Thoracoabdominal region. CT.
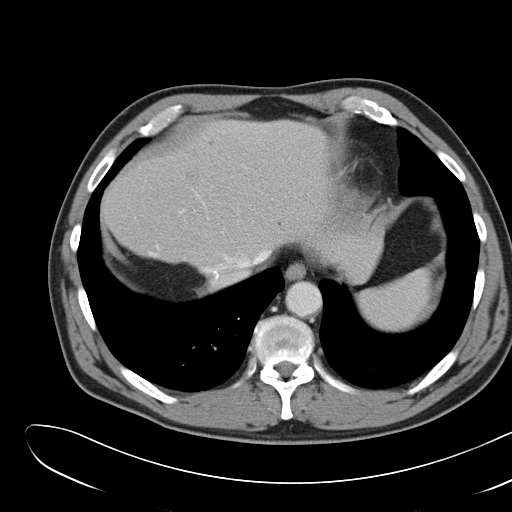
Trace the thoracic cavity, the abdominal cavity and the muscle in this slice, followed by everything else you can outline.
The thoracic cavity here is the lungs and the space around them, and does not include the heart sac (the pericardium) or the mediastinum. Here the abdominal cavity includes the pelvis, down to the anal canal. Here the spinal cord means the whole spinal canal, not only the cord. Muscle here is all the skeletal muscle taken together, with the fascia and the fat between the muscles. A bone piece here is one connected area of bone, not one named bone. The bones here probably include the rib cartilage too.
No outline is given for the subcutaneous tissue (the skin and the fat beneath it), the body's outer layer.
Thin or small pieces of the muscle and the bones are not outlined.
{"thoracic_cavity":[[[140,137],[149,140],[103,188],[98,206],[100,257],[120,284],[140,296],[179,306],[214,295],[276,266],[282,274],[282,289],[253,328],[245,366],[227,381],[208,389],[179,391],[161,387],[122,364],[98,329],[82,283],[77,252],[86,206],[116,158]],[[396,127],[415,135],[461,183],[479,240],[478,263],[471,305],[452,348],[421,377],[404,385],[368,388],[337,375],[315,350],[323,314],[319,282],[328,279],[343,288],[368,328],[396,335],[430,321],[448,274],[448,234],[436,199],[426,193],[399,191]]],"abdominal_cavity":[[[275,97],[321,112],[355,114],[343,158],[363,191],[435,199],[447,234],[447,274],[429,321],[405,333],[374,331],[348,292],[322,278],[299,253],[287,253],[278,265],[179,305],[131,291],[106,268],[99,227],[102,192],[149,137],[187,112],[234,110]]],"muscle":[[[342,87],[373,88],[398,99],[457,154],[473,177],[497,236],[508,294],[507,326],[495,353],[461,385],[403,420],[324,429],[292,419],[291,396],[315,372],[350,394],[358,390],[346,382],[387,389],[421,378],[405,391],[411,396],[439,379],[457,359],[459,350],[453,347],[470,309],[475,310],[481,299],[485,272],[478,266],[479,250],[488,234],[482,216],[472,212],[462,184],[466,175],[459,164],[440,149],[434,153],[408,128],[398,125],[386,107],[351,94],[339,104],[348,111],[329,112],[275,96],[259,97],[234,109],[184,112],[184,106],[175,103],[158,111],[136,129],[142,136],[117,156],[116,149],[110,148],[96,164],[86,183],[91,194],[82,222],[72,227],[68,243],[76,253],[82,284],[76,298],[83,317],[94,332],[99,331],[131,385],[173,404],[178,398],[159,387],[204,391],[243,370],[230,385],[236,388],[254,374],[259,363],[259,380],[280,396],[282,420],[252,431],[184,424],[88,375],[79,366],[68,336],[60,247],[78,186],[103,147],[141,111],[167,96],[307,94]],[[324,362],[325,363],[325,364],[337,376],[338,376],[340,378],[341,378],[342,379],[341,379],[340,378],[339,378],[338,377],[337,377],[335,375],[334,375],[326,367],[326,366],[325,365],[325,364],[324,363]]],"torso":[[[340,77],[385,80],[417,95],[452,127],[485,175],[511,238],[511,349],[494,377],[471,399],[425,424],[370,439],[316,445],[262,445],[190,435],[164,428],[82,390],[62,355],[49,301],[47,262],[63,198],[100,131],[132,101],[168,86],[285,86]]],"spinal_cord":[[[282,361],[287,361],[288,362],[290,362],[291,363],[292,363],[293,364],[296,365],[296,367],[294,369],[294,370],[291,373],[290,376],[289,376],[288,377],[283,377],[280,374],[280,373],[275,368],[275,366],[277,364],[278,364],[280,362],[281,362]]],"bones":[{"outer":[[277,315],[291,316],[307,324],[313,332],[314,350],[325,367],[357,392],[342,391],[315,371],[310,381],[294,389],[289,399],[292,417],[282,419],[281,396],[272,385],[260,380],[262,365],[259,362],[250,377],[231,387],[247,365],[248,347],[257,322]],"hole":[[282,361],[287,361],[288,362],[290,362],[291,363],[292,363],[293,364],[296,365],[296,367],[294,369],[294,370],[291,373],[290,376],[289,376],[288,377],[283,377],[280,374],[280,373],[275,368],[275,366],[277,364],[278,364],[280,362],[281,362]]},[[351,95],[356,95],[363,98],[366,98],[372,100],[376,102],[380,106],[386,108],[391,113],[391,114],[397,119],[397,125],[399,126],[392,127],[382,123],[379,123],[363,114],[352,113],[350,111],[342,108],[340,104],[341,101],[344,98]],[[175,104],[181,104],[183,106],[184,111],[183,113],[179,115],[173,121],[170,122],[165,127],[164,127],[157,133],[153,135],[150,135],[149,136],[143,136],[139,132],[138,132],[137,129],[140,126],[144,125],[158,112],[163,110],[168,106],[174,105]],[[120,365],[123,365],[125,367],[128,368],[130,370],[136,373],[139,376],[151,382],[167,394],[169,394],[172,396],[176,397],[177,398],[177,401],[173,403],[165,403],[143,392],[141,390],[131,384],[123,376],[123,375],[119,370],[119,367]],[[452,349],[457,349],[458,350],[458,354],[456,357],[456,359],[451,365],[451,366],[439,378],[438,378],[435,381],[434,381],[426,387],[421,389],[419,391],[411,395],[409,395],[407,394],[406,391],[409,388],[414,386],[442,358],[443,358]],[[112,148],[115,149],[116,157],[114,161],[106,172],[106,173],[103,176],[103,177],[100,180],[98,184],[95,187],[95,188],[91,193],[87,190],[87,183],[88,182],[88,180],[97,164],[101,160],[101,159],[104,156],[104,155],[110,149]],[[81,285],[83,286],[84,290],[86,293],[86,295],[88,299],[88,302],[97,327],[97,329],[95,331],[94,331],[90,327],[89,324],[84,317],[84,315],[81,310],[81,308],[78,302],[78,299],[77,298],[77,290],[78,289],[78,287]],[[436,150],[440,150],[446,153],[448,155],[449,155],[458,164],[458,165],[461,168],[461,169],[463,171],[465,175],[465,181],[463,182],[461,182],[454,175],[454,174],[440,160],[440,159],[436,155],[435,153],[435,151]],[[478,267],[482,268],[483,269],[483,271],[484,272],[484,284],[483,285],[483,290],[482,291],[480,299],[475,309],[472,309],[471,308],[471,306],[472,305],[472,300],[473,299],[474,284],[475,283],[475,278],[476,277],[476,273],[477,272],[477,269]],[[475,211],[481,216],[485,224],[485,227],[486,228],[486,233],[487,234],[486,235],[486,239],[484,242],[481,242],[480,241],[479,237],[478,236],[478,234],[477,233],[477,230],[476,229],[476,227],[474,223],[474,220],[473,219],[473,215],[472,213]],[[77,223],[80,223],[81,224],[81,232],[80,233],[80,238],[79,239],[79,243],[78,244],[77,251],[76,252],[74,252],[73,251],[72,251],[72,250],[70,247],[70,244],[69,243],[69,239],[70,238],[71,231],[72,230],[73,227]]],"mediastinum":[[[355,115],[363,115],[379,124],[391,127],[396,134],[397,149],[400,164],[398,168],[397,179],[397,187],[399,193],[395,197],[389,192],[387,194],[379,196],[363,190],[355,184],[354,178],[350,174],[347,168],[344,158],[344,148],[352,122],[352,118]],[[287,254],[299,254],[305,260],[307,265],[321,276],[321,279],[318,282],[318,287],[322,297],[322,314],[317,337],[314,335],[313,330],[307,323],[291,315],[277,314],[259,319],[261,314],[276,294],[281,291],[284,287],[284,278],[279,264],[282,258]]]}